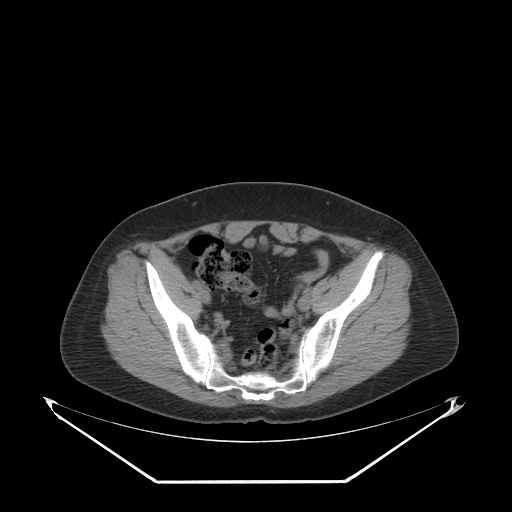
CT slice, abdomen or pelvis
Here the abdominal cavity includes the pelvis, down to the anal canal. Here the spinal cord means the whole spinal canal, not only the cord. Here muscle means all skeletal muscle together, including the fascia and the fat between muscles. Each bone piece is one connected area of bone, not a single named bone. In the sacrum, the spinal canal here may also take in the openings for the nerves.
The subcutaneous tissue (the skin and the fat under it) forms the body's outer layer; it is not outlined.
The torso is outlined by [[233,181],[285,181],[321,187],[403,223],[418,240],[454,308],[459,344],[452,361],[444,368],[358,408],[323,419],[284,424],[262,420],[207,424],[175,419],[119,401],[77,381],[62,362],[59,333],[67,305],[100,242],[121,220],[144,207],[198,188]]. The bones are outlined by [[378,249],[384,255],[371,290],[344,320],[328,366],[304,391],[278,391],[268,400],[244,399],[235,388],[216,392],[183,371],[153,301],[145,265],[146,260],[151,263],[172,301],[210,339],[228,373],[263,371],[283,380],[293,371],[302,335],[348,296]]; inner edge: [[248,389],[253,389],[254,390],[266,390],[266,391],[265,392],[254,392],[253,391],[250,391],[249,390],[248,390]]. The spinal cord is outlined by [[248,389],[253,389],[254,390],[266,390],[266,391],[265,392],[254,392],[253,391],[250,391],[249,390],[248,390]]. The muscle appears in 3 outlined pieces: piece 1: [[266,219],[301,222],[323,231],[386,244],[406,260],[412,273],[408,290],[411,326],[407,346],[398,359],[362,382],[308,405],[217,407],[192,402],[143,381],[106,354],[98,326],[100,311],[108,295],[107,268],[119,249],[135,241],[161,240],[212,222]]; inner edge: [[261,225],[286,244],[326,237],[351,257],[313,287],[314,317],[344,300],[373,253],[384,252],[328,366],[304,391],[278,391],[268,400],[244,399],[235,388],[216,392],[183,371],[145,265],[196,323],[202,300],[176,263],[184,242],[205,231],[233,244]]; piece 2: [[296,348],[296,356],[293,360],[293,364],[292,365],[292,371],[290,375],[288,377],[286,377],[283,379],[278,379],[274,375],[272,374],[272,372],[276,370],[278,370],[283,365],[283,364],[285,363],[289,359],[289,358],[291,356],[292,351]]; piece 3: [[216,346],[217,346],[217,347],[220,350],[221,350],[221,351],[223,352],[224,354],[225,354],[229,361],[231,362],[231,363],[236,368],[236,369],[240,372],[239,374],[232,374],[228,372],[226,370],[224,366],[224,364],[221,360],[221,358],[216,350]]. The abdominal cavity is outlined by [[261,225],[268,225],[271,234],[286,244],[313,244],[326,237],[351,260],[313,287],[310,310],[314,317],[319,316],[301,335],[297,349],[291,351],[288,359],[271,373],[240,373],[195,326],[202,300],[194,282],[176,261],[184,242],[198,231],[233,244]].